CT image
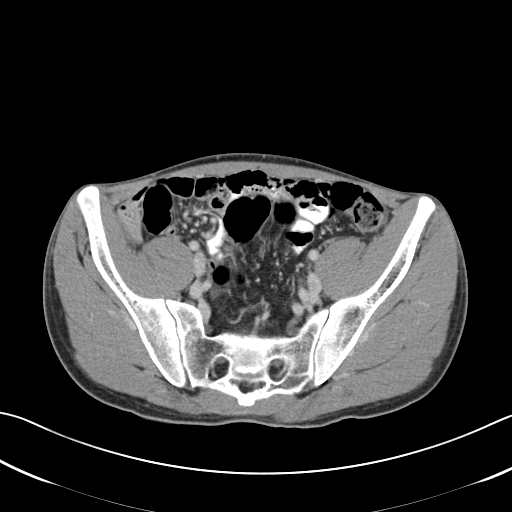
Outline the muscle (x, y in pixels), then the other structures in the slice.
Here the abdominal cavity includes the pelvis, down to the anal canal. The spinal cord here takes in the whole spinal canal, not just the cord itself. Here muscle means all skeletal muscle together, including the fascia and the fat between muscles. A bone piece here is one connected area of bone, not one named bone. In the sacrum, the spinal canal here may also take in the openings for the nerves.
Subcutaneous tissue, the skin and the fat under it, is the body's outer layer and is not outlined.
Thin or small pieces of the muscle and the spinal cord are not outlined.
muscle 1: [[76,194],[93,264],[131,317],[151,361],[177,388],[188,384],[214,390],[250,407],[323,384],[405,277],[436,203],[457,246],[456,292],[445,345],[427,380],[415,389],[304,421],[191,415],[106,387],[75,363],[54,285],[53,248]]
muscle 2: [[223,161],[301,166],[405,195],[420,195],[405,231],[377,278],[364,290],[333,300],[315,273],[314,263],[330,240],[352,236],[367,245],[383,232],[394,210],[371,190],[345,179],[276,175],[257,166],[218,174],[158,177],[120,200],[112,209],[113,217],[132,250],[139,251],[145,243],[158,237],[180,240],[191,253],[192,275],[175,298],[144,296],[128,286],[115,264],[102,218],[98,186],[129,183],[186,167]]
torso: [[225,152],[298,157],[398,190],[427,192],[441,201],[463,250],[468,308],[454,357],[431,392],[391,414],[346,418],[323,428],[304,430],[249,422],[186,426],[148,420],[100,402],[72,380],[51,345],[42,307],[47,243],[72,192],[87,182],[123,180]]
spinal cord 1: [[274,359],[279,359],[280,360],[281,360],[283,362],[283,364],[284,365],[284,371],[282,374],[281,379],[279,379],[278,380],[276,380],[275,381],[274,381],[272,379],[272,378],[270,376],[270,375],[268,372],[268,368],[270,365],[270,362]]
spinal cord 2: [[220,357],[223,357],[224,358],[225,358],[228,361],[228,365],[227,366],[227,369],[224,373],[221,374],[219,376],[218,376],[214,379],[213,379],[209,375],[209,373],[211,370],[211,368],[213,365],[213,363],[218,358],[219,358]]
abdominal cavity: [[257,167],[276,176],[359,184],[391,207],[392,217],[367,244],[352,235],[325,244],[313,271],[334,301],[308,315],[293,334],[229,330],[208,334],[198,307],[176,299],[193,275],[188,246],[180,239],[158,236],[139,250],[132,249],[113,209],[158,178]]
bones: [[90,184],[99,190],[109,250],[127,286],[144,297],[193,304],[208,335],[293,335],[308,316],[378,278],[421,195],[436,207],[404,277],[335,371],[318,386],[308,383],[299,393],[243,406],[214,389],[177,387],[152,361],[132,317],[92,259],[76,202]]; inner edges: [[274,359],[279,359],[280,360],[281,360],[283,362],[283,364],[284,365],[284,371],[282,374],[281,379],[279,379],[278,380],[276,380],[275,381],[274,381],[272,379],[272,378],[270,376],[270,375],[268,372],[268,368],[270,365],[270,362]], then [[220,357],[223,357],[224,358],[225,358],[228,361],[228,365],[227,366],[227,369],[224,373],[221,374],[219,376],[218,376],[214,379],[213,379],[209,375],[209,373],[211,370],[211,368],[213,365],[213,363],[218,358],[219,358]], then [[233,381],[238,381],[239,382],[240,382],[241,381],[245,381],[248,383],[262,383],[262,384],[261,385],[261,386],[260,386],[259,387],[257,387],[256,388],[254,388],[251,390],[248,390],[247,391],[243,391],[240,388],[240,387],[236,383],[235,383]]